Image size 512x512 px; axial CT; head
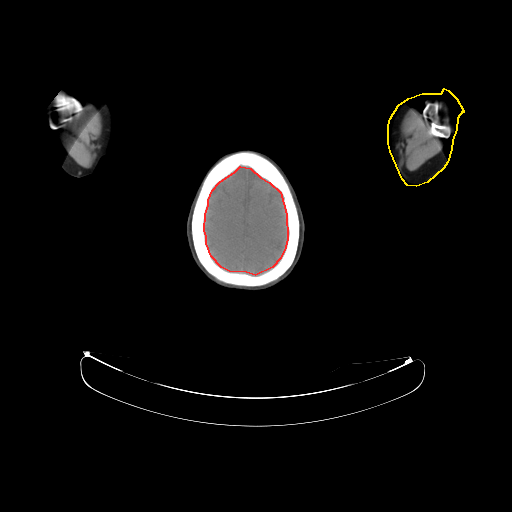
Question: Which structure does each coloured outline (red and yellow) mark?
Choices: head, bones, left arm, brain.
Answer: red: brain; yellow: left arm.
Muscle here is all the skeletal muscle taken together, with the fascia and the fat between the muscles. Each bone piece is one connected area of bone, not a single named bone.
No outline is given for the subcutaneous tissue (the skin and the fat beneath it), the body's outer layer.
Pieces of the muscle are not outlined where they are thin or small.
The brain is outlined by (240, 166) (250, 168) (260, 177) (269, 182) (280, 192) (286, 214) (287, 238) (285, 247) (280, 258) (272, 267) (255, 275) (246, 272) (229, 271) (221, 267) (211, 256) (206, 243) (206, 236) (204, 230) (205, 214) (208, 205) (208, 200) (212, 190) (219, 182) (235, 171). The left arm is outlined by (444, 88) (448, 90) (456, 98) (463, 110) (463, 112) (462, 111) (457, 118) (456, 129) (452, 140) (451, 149) (447, 162) (443, 168) (427, 182) (416, 186) (407, 185) (402, 179) (390, 151) (388, 143) (388, 125) (390, 118) (398, 105) (408, 98) (422, 93) (441, 93). The right arm is outlined by (65, 87) (78, 87) (88, 90) (96, 94) (108, 105) (113, 118) (113, 132) (109, 151) (101, 158) (93, 173) (83, 177) (70, 176) (62, 169) (57, 159) (51, 141) (51, 135) (54, 132) (54, 129) (49, 126) (46, 117) (46, 110) (54, 99) (54, 96). The head is outlined by (237, 150) (255, 150) (266, 154) (279, 164) (297, 193) (305, 221) (303, 250) (297, 266) (285, 280) (264, 291) (234, 291) (230, 289) (224, 289) (215, 285) (209, 281) (194, 264) (189, 253) (186, 239) (186, 218) (190, 203) (196, 189) (210, 167) (218, 158) (224, 154). The bones appear in 3 outlined pieces: piece 1: (241, 150) (249, 150) (257, 152) (275, 164) (290, 187) (290, 190) (296, 204) (300, 222) (298, 247) (292, 264) (276, 280) (261, 286) (236, 286) (218, 281) (208, 273) (200, 263) (196, 255) (191, 236) (191, 216) (195, 200) (204, 177) (210, 168) (221, 158) (228, 154) with a hole at (240, 166) (250, 168) (260, 177) (269, 182) (280, 192) (286, 214) (287, 238) (285, 247) (280, 258) (272, 267) (255, 275) (246, 272) (229, 271) (221, 267) (211, 256) (206, 243) (206, 236) (204, 230) (205, 214) (208, 205) (208, 200) (212, 190) (219, 182) (235, 171); piece 2: (60, 91) (62, 91) (70, 97) (75, 98) (79, 102) (80, 102) (81, 103) (81, 111) (76, 117) (74, 117) (70, 121) (66, 123) (64, 126) (62, 127) (58, 127) (57, 128) (52, 128) (50, 125) (50, 122) (49, 121) (50, 105) (51, 103) (54, 101) (54, 96); piece 3: (426, 101) (431, 103) (434, 103) (436, 101) (441, 102) (443, 103) (447, 108) (448, 121) (451, 128) (451, 132) (449, 134) (449, 136) (446, 138) (432, 135) (429, 133) (429, 128) (426, 123) (426, 121) (424, 119) (424, 116) (422, 112) (423, 108) (425, 106) (425, 102). The muscle appears in 2 outlined pieces: piece 1: (65, 89) (75, 91) (85, 97) (100, 112) (103, 118) (104, 135) (102, 144) (94, 162) (89, 168) (82, 168) (74, 164) (70, 160) (66, 149) (58, 139) (56, 129) (64, 127) (66, 124) (76, 118) (82, 111) (82, 103) (75, 97) (70, 96) (64, 92) (63, 91); piece 2: (423, 102) (424, 104) (421, 112) (423, 119) (428, 128) (428, 133) (432, 136) (443, 139) (449, 137) (449, 139) (436, 155) (430, 158) (417, 170) (408, 171) (399, 169) (397, 164) (397, 158) (395, 155) (395, 144) (399, 137) (398, 130) (400, 123) (404, 114) (414, 104).